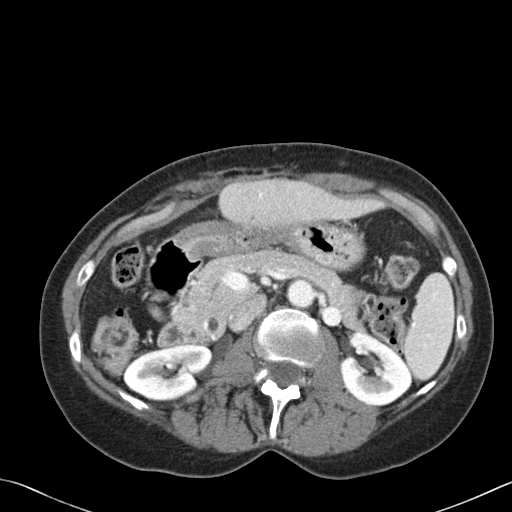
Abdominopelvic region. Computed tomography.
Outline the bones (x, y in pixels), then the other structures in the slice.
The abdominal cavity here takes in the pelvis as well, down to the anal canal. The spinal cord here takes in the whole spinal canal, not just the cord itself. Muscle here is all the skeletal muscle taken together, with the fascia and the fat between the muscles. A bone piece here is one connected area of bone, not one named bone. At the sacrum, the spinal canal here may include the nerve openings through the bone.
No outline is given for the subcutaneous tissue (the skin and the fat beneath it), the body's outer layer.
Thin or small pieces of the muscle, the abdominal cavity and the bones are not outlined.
Outlines (x, y in pixels):
bones 1: [[282,308],[300,310],[315,319],[319,326],[320,357],[303,371],[306,381],[301,386],[300,397],[284,406],[276,427],[276,437],[271,439],[269,425],[272,403],[260,391],[260,384],[253,381],[253,376],[262,366],[262,360],[255,352],[254,336],[262,319]] with a hole at [[268,361],[273,361],[274,362],[278,362],[279,361],[287,361],[288,362],[290,362],[293,364],[297,365],[301,369],[301,373],[297,379],[297,382],[295,383],[291,383],[284,388],[280,387],[272,379],[268,377],[269,371],[266,366],[266,363]]
bones 2: [[380,190],[386,190],[387,191],[394,191],[397,192],[400,195],[405,197],[410,201],[421,207],[432,218],[433,221],[435,223],[437,227],[437,231],[436,233],[434,235],[428,232],[419,223],[415,216],[409,210],[403,208],[399,205],[387,199],[380,192]]
bones 3: [[172,202],[174,202],[174,206],[172,210],[169,213],[168,216],[158,219],[153,222],[151,222],[146,225],[144,225],[126,233],[118,234],[117,235],[117,230],[132,219],[136,218],[139,216],[143,216],[144,215],[147,215],[148,214],[156,212],[166,207]]
bones 4: [[76,328],[78,328],[79,330],[79,334],[80,335],[80,349],[81,350],[81,361],[80,362],[76,362],[73,360],[71,356],[71,354],[70,353],[70,350],[69,349],[69,345],[68,344],[69,337],[72,333],[72,332],[74,330],[74,329]]
bones 5: [[90,259],[92,259],[96,264],[96,266],[95,267],[95,269],[94,270],[93,273],[87,280],[85,285],[84,285],[83,286],[81,286],[80,287],[79,286],[77,286],[76,285],[76,278],[77,277],[77,274],[78,273],[80,268],[88,260],[89,260]]
bones 6: [[117,387],[119,387],[121,389],[127,392],[129,394],[140,399],[142,401],[146,403],[148,405],[149,407],[149,409],[148,410],[146,409],[141,409],[140,410],[134,407],[130,403],[124,400],[120,396],[120,395],[117,391]]
bones 7: [[446,255],[449,255],[450,256],[451,256],[454,259],[454,260],[456,262],[456,264],[457,265],[457,269],[456,270],[455,275],[453,277],[451,277],[450,276],[449,276],[448,275],[448,274],[444,270],[444,269],[442,267],[442,258],[444,256],[445,256]]
bones 8: [[433,379],[436,379],[436,383],[430,389],[429,389],[425,393],[424,393],[423,394],[421,394],[420,395],[419,395],[418,396],[416,396],[415,395],[415,393],[420,388],[421,388],[425,384],[426,384],[428,382],[429,382],[431,380],[432,380]]
torso: [[291,141],[330,143],[401,161],[430,180],[456,211],[484,267],[494,314],[491,359],[472,407],[431,451],[404,465],[347,480],[315,476],[273,451],[210,478],[142,471],[106,456],[71,427],[43,374],[39,312],[52,267],[100,208],[148,173],[199,152]]
muscle: [[275,165],[282,165],[284,168],[292,169],[300,172],[319,171],[320,172],[338,172],[339,173],[353,174],[364,178],[372,178],[378,182],[386,182],[393,186],[411,193],[426,203],[439,215],[445,223],[463,258],[472,282],[473,301],[471,308],[471,316],[473,323],[473,332],[468,342],[465,353],[457,362],[451,373],[451,376],[448,382],[429,400],[418,408],[394,424],[389,426],[384,430],[380,431],[379,433],[370,438],[358,448],[346,453],[331,456],[306,457],[294,454],[276,444],[266,444],[248,451],[234,454],[232,453],[220,453],[211,450],[199,450],[184,443],[170,433],[161,429],[155,424],[148,425],[145,421],[141,421],[131,414],[114,407],[100,399],[86,387],[84,382],[73,369],[70,363],[67,348],[67,339],[66,338],[67,334],[65,330],[61,309],[62,289],[63,285],[75,262],[86,247],[102,229],[110,222],[143,205],[161,190],[183,180],[196,179],[200,176],[210,172],[218,172],[230,169],[233,170],[235,168],[242,168],[243,167],[245,168],[257,168],[258,167],[271,168]], around holes outlined by [[277,175],[350,193],[394,191],[432,218],[431,234],[386,200],[457,265],[449,279],[466,333],[430,389],[383,407],[358,400],[342,383],[336,338],[320,327],[320,357],[303,371],[300,397],[284,406],[271,439],[272,403],[253,381],[262,360],[251,327],[168,408],[149,402],[140,410],[124,400],[81,335],[81,361],[73,360],[68,341],[74,329],[82,333],[85,288],[76,278],[88,260],[97,265],[112,247],[227,184]] and by [[174,201],[175,201],[174,206],[172,210],[169,213],[168,216],[158,219],[153,222],[151,222],[146,225],[144,225],[126,233],[118,234],[117,235],[117,230],[132,219],[139,216],[143,216],[156,212],[162,209],[163,207],[166,206],[171,202]]
abdominal cavity: [[277,175],[329,190],[373,191],[437,248],[456,316],[452,349],[435,378],[391,405],[364,403],[344,388],[336,338],[292,307],[270,311],[254,335],[251,327],[231,339],[201,385],[168,408],[102,375],[84,349],[80,302],[108,250],[165,225],[227,184]]
spinal cord: [[268,361],[273,361],[274,362],[278,362],[279,361],[287,361],[288,362],[290,362],[293,364],[297,365],[301,369],[301,373],[297,379],[297,382],[295,383],[291,383],[284,388],[280,387],[272,379],[268,377],[269,371],[266,366],[266,363]]